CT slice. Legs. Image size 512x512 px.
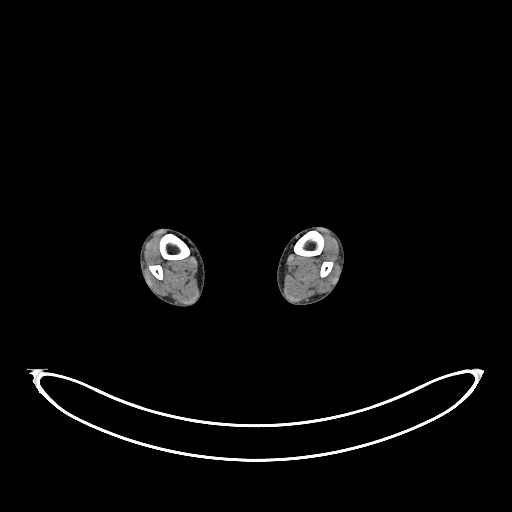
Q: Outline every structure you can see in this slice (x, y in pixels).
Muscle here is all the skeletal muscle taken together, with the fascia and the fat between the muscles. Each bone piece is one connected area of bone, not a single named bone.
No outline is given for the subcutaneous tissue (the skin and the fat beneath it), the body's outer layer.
A: Outlines (x, y in pixels):
left leg: 312 225; 326 226; 333 230; 339 236; 342 241; 345 253; 344 267; 341 274; 341 277; 339 279; 337 285; 331 293; 325 298; 317 302; 307 305; 293 305; 288 303; 282 297; 279 292; 276 282; 277 264; 281 252; 288 240; 298 231
bones 1: 165 233; 172 233; 176 235; 181 239; 182 239; 187 244; 187 245; 189 247; 189 249; 190 250; 190 254; 188 256; 182 259; 165 259; 163 258; 159 250; 159 241; 161 237
bones 2: 310 230; 317 230; 319 232; 320 232; 323 236; 324 244; 323 245; 323 249; 322 251; 320 253; 320 254; 318 255; 315 255; 314 256; 303 256; 302 255; 299 255; 295 253; 293 251; 293 247; 294 246; 295 242; 303 234
bones 3: 155 264; 159 264; 161 266; 161 267; 162 268; 162 272; 163 273; 163 277; 162 278; 162 279; 158 279; 156 277; 155 277; 153 275; 153 274; 150 271; 150 270; 149 269; 149 268; 148 267; 149 266; 149 265; 154 265
bones 4: 324 261; 331 261; 333 263; 333 265; 332 266; 332 267; 331 268; 331 270; 330 271; 330 272; 327 275; 326 275; 324 277; 321 277; 320 276; 320 269; 321 268; 321 265; 322 264; 322 263
right leg: 160 227; 173 228; 187 235; 195 243; 202 256; 204 262; 204 266; 205 267; 204 288; 200 299; 195 304; 191 306; 188 307; 178 307; 177 306; 170 305; 158 299; 148 289; 140 272; 140 267; 139 266; 139 251; 142 241; 152 230
muscle 1: 318 230; 325 230; 329 232; 337 241; 338 247; 341 249; 341 272; 332 286; 320 296; 307 301; 292 301; 287 297; 284 292; 284 270; 287 256; 291 251; 292 245; 292 251; 299 256; 314 257; 320 255; 324 249; 325 240; 322 233; inner edge: 324 261; 331 261; 333 263; 333 265; 332 266; 332 267; 331 268; 331 270; 330 271; 330 272; 327 275; 326 275; 324 277; 321 277; 320 276; 320 269; 321 268; 321 265; 322 264; 322 263
muscle 2: 159 231; 165 232; 158 241; 158 250; 163 259; 182 260; 191 254; 190 248; 193 250; 192 254; 196 258; 198 264; 196 275; 198 294; 195 299; 189 303; 168 301; 150 289; 147 285; 143 271; 143 263; 145 261; 145 245; 153 235; inner edge: 155 264; 159 264; 161 266; 161 267; 162 268; 162 272; 163 273; 163 277; 162 278; 162 279; 158 279; 156 277; 155 277; 153 275; 153 274; 150 271; 150 270; 149 269; 149 268; 148 267; 149 266; 149 265; 154 265